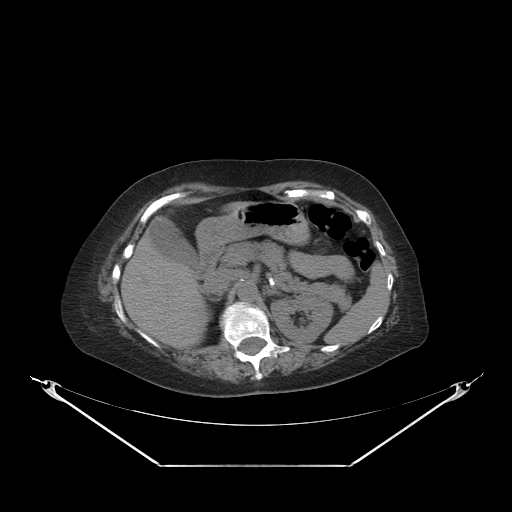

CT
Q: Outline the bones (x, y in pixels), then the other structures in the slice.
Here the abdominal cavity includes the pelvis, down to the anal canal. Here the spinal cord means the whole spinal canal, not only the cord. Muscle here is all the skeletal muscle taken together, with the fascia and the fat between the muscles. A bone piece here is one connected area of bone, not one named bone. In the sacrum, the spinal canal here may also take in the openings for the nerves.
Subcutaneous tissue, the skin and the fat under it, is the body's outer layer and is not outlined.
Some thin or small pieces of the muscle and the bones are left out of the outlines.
A: The bones appear in 11 outlined pieces: piece 1: 238 301; 259 307; 269 321; 272 340; 278 345; 289 347; 288 351; 279 353; 277 357; 266 356; 260 360; 259 371; 262 378; 259 380; 255 378; 255 369; 250 362; 240 361; 234 356; 234 349; 224 337; 219 326; 220 316; 225 308 with a hole at 251 337; 257 337; 258 338; 260 338; 261 339; 262 339; 265 342; 265 344; 260 349; 260 350; 256 353; 255 353; 254 354; 247 354; 246 353; 241 351; 239 349; 239 346; 240 345; 241 342; 244 339; 246 339; 247 338; 250 338; piece 2: 175 192; 189 192; 185 196; 181 198; 175 199; 171 201; 166 205; 164 205; 162 207; 158 209; 150 216; 150 217; 144 224; 140 222; 140 218; 143 214; 144 211; 153 201; 162 196; 164 196; 165 195; 167 195; 171 193; 174 193; piece 3: 286 189; 317 189; 318 190; 330 190; 334 193; 335 195; 335 198; 333 200; 332 200; 331 199; 325 199; 324 198; 315 198; 314 197; 308 197; 307 196; 305 196; 304 197; 302 196; 287 196; 285 194; 284 194; 284 191; piece 4: 116 295; 118 295; 119 296; 119 298; 121 301; 121 305; 123 308; 123 311; 127 318; 127 321; 126 323; 123 322; 120 319; 120 318; 117 314; 117 311; 116 310; 116 308; 114 304; 114 299; piece 5: 356 209; 360 209; 361 210; 364 210; 365 211; 366 211; 369 214; 369 215; 371 218; 371 223; 369 225; 367 225; 365 223; 364 223; 361 220; 360 220; 360 219; 358 217; 358 216; 356 214; 356 213; 355 212; 355 210; piece 6: 137 329; 139 329; 140 330; 141 330; 144 333; 145 333; 148 336; 149 336; 152 339; 153 339; 156 342; 157 342; 160 345; 160 346; 161 347; 160 348; 157 348; 153 345; 152 345; 143 337; 142 337; 138 333; 138 332; 137 331; piece 7: 115 264; 118 264; 119 265; 119 266; 120 267; 120 275; 119 276; 119 279; 118 280; 118 281; 117 282; 117 283; 116 283; 115 284; 114 283; 113 283; 113 280; 112 279; 112 270; 113 269; 113 267; 114 266; 114 265; piece 8: 380 315; 381 315; 383 317; 383 319; 382 320; 382 322; 381 323; 381 324; 376 329; 375 329; 372 332; 371 332; 370 333; 367 333; 367 331; 368 330; 368 329; 370 327; 370 326; 373 323; 373 322; piece 9: 129 243; 131 243; 133 244; 133 250; 132 251; 132 253; 131 255; 130 255; 129 257; 125 259; 123 257; 122 255; 122 253; 123 252; 123 250; 124 248; 127 245; 127 244; piece 10: 333 344; 339 344; 340 345; 338 348; 337 348; 336 349; 335 349; 332 351; 330 351; 329 352; 325 352; 324 351; 321 351; 320 350; 320 349; 322 346; 324 346; 325 345; 332 345; piece 11: 375 241; 378 241; 382 245; 382 246; 383 247; 383 248; 384 249; 384 250; 385 251; 385 255; 384 256; 381 256; 380 255; 380 254; 379 253; 379 252; 378 251; 378 250; 377 249; 377 248; 376 247; 376 246; 374 244; 374 242. The spinal cord is outlined by 251 337; 257 337; 258 338; 260 338; 261 339; 262 339; 265 342; 265 344; 260 349; 260 350; 256 353; 255 353; 254 354; 247 354; 246 353; 241 351; 239 349; 239 346; 240 345; 241 342; 244 339; 246 339; 247 338; 250 338. The torso is outlined by 211 158; 321 159; 345 165; 365 176; 385 198; 416 254; 429 323; 426 340; 419 347; 380 366; 331 385; 295 392; 228 398; 196 396; 166 389; 78 349; 69 338; 61 322; 59 298; 70 263; 82 241; 111 203; 138 179; 174 164. The abdominal cavity is outlined by 244 191; 260 191; 285 202; 310 200; 345 208; 368 227; 387 273; 387 291; 381 313; 367 330; 332 344; 288 341; 270 328; 268 316; 259 306; 238 300; 219 316; 217 343; 171 349; 128 319; 118 290; 121 267; 151 216; 166 206. The muscle is outlined by 293 180; 311 181; 322 184; 331 188; 338 189; 352 199; 361 203; 367 207; 373 213; 379 227; 383 232; 385 240; 393 251; 393 255; 396 260; 397 269; 399 273; 399 276; 396 279; 394 285; 397 293; 396 303; 398 306; 397 314; 399 316; 399 320; 398 322; 393 325; 388 331; 384 332; 382 335; 366 343; 363 346; 361 346; 353 351; 349 352; 345 356; 338 359; 336 361; 332 362; 318 369; 315 369; 306 372; 302 372; 298 374; 272 376; 265 378; 259 383; 257 383; 254 381; 252 382; 247 381; 238 384; 232 383; 229 381; 224 381; 220 379; 203 378; 199 376; 194 376; 187 372; 184 372; 172 366; 167 362; 161 360; 152 354; 148 353; 145 350; 134 344; 129 339; 122 336; 118 332; 117 327; 114 325; 114 323; 99 302; 99 294; 97 291; 97 276; 99 273; 101 266; 103 264; 105 258; 115 240; 124 231; 138 210; 148 200; 169 187; 187 182; 204 182; 214 185; 252 187; 253 186; 270 185; 279 182; 292 181 with holes at 244 191; 369 214; 371 238; 382 245; 383 265; 393 276; 380 314; 383 319; 376 329; 325 352; 321 344; 280 339; 271 328; 272 340; 289 350; 277 357; 263 357; 258 380; 253 365; 234 356; 222 332; 212 345; 157 348; 128 319; 126 323; 120 319; 114 304; 118 284; 113 283; 112 270; 115 264; 122 266; 124 248; 134 245; 144 229; 140 218; 147 207; 175 192; 189 192; 169 206 and at 286 189; 317 189; 318 190; 330 190; 334 193; 335 195; 335 198; 333 200; 332 200; 331 199; 325 199; 324 198; 315 198; 314 197; 308 197; 307 196; 305 196; 304 197; 302 196; 287 196; 285 194; 284 194; 284 191.